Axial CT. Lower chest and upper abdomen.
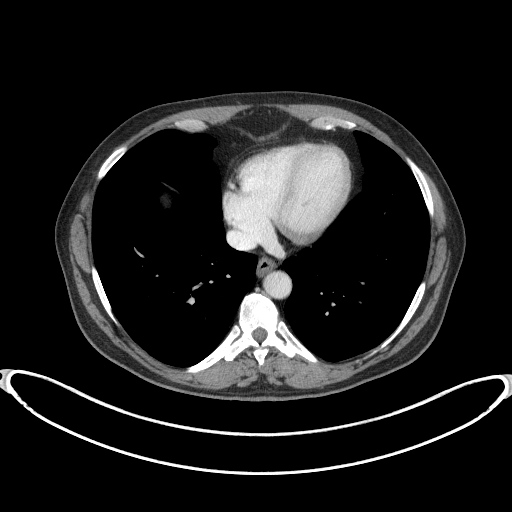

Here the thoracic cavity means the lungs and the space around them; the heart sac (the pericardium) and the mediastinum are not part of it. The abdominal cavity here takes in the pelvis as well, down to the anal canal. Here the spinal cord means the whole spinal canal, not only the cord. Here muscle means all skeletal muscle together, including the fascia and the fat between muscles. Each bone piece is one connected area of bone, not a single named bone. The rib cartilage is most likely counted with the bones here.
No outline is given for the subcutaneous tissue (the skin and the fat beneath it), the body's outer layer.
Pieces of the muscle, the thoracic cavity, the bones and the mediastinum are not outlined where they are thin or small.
{"muscle":[[[206,389],[222,389],[233,385],[243,387],[259,379],[275,385],[302,389],[322,387],[377,364],[404,347],[432,314],[449,263],[446,210],[428,174],[422,170],[433,196],[434,217],[430,219],[430,248],[423,277],[427,283],[426,290],[410,321],[385,348],[364,360],[362,357],[369,351],[339,362],[328,362],[319,358],[320,361],[315,364],[299,355],[290,359],[272,347],[260,368],[251,350],[246,349],[231,362],[221,359],[202,371],[190,374],[184,368],[164,364],[145,352],[123,328],[118,328],[111,321],[98,298],[90,274],[90,266],[94,264],[90,235],[91,207],[99,182],[96,175],[102,162],[93,172],[70,224],[69,257],[82,303],[109,339],[141,365],[171,381]],[[403,160],[403,157],[406,154],[409,154],[385,132],[364,118],[339,107],[311,103],[237,103],[232,105],[217,105],[188,109],[168,115],[151,123],[118,145],[126,143],[130,148],[155,131],[168,127],[176,128],[173,124],[176,119],[187,117],[198,118],[203,120],[209,127],[224,124],[238,113],[249,108],[266,106],[284,111],[306,124],[315,117],[328,114],[353,120],[357,123],[357,126],[354,129],[372,135],[395,151]]],"bones":[{"outer":[[190,373],[202,370],[221,358],[231,361],[246,348],[252,350],[259,367],[262,366],[272,346],[290,358],[299,354],[311,362],[317,363],[319,360],[291,332],[274,303],[266,296],[252,292],[244,296],[236,321],[223,340],[206,357],[185,368],[185,371]],"hole":[[259,342],[260,342],[261,341],[262,341],[265,338],[265,337],[266,336],[266,332],[265,331],[265,330],[264,329],[263,329],[262,328],[257,328],[256,329],[255,329],[253,331],[253,332],[252,333],[252,335],[253,336],[253,337],[257,341],[258,341]]},[[363,359],[367,358],[369,356],[371,356],[379,350],[385,347],[406,325],[413,315],[423,296],[423,294],[425,290],[425,285],[426,284],[424,280],[422,280],[418,286],[410,305],[408,307],[400,323],[394,331],[378,346],[372,349],[367,355],[363,357]],[[430,218],[433,217],[433,200],[432,199],[432,196],[427,181],[421,169],[409,156],[406,155],[404,157],[404,159],[406,163],[411,169],[419,185]],[[324,130],[328,130],[329,129],[334,130],[337,127],[345,128],[346,129],[353,129],[355,128],[356,123],[347,119],[337,118],[329,115],[327,116],[320,116],[311,120],[308,124],[309,126],[312,128],[315,128],[316,129],[323,129]],[[120,328],[122,328],[122,327],[112,312],[111,306],[103,289],[96,268],[94,265],[92,265],[91,266],[92,279],[95,288],[97,291],[97,293],[99,296],[99,298],[106,312],[112,321]],[[98,181],[99,181],[107,173],[107,172],[110,169],[110,168],[125,153],[125,152],[128,149],[128,147],[126,144],[122,144],[118,146],[106,158],[106,159],[103,162],[103,163],[101,165],[99,169],[99,171],[97,175],[97,180]],[[189,132],[199,132],[200,131],[202,131],[207,128],[207,125],[203,121],[201,120],[199,120],[198,119],[192,119],[191,118],[187,118],[186,119],[182,119],[181,120],[176,120],[174,122],[174,124],[177,128],[179,129],[181,129],[182,130],[185,130]]],"torso":[[[241,401],[319,397],[352,388],[413,362],[439,331],[465,252],[463,220],[429,152],[403,124],[375,106],[343,96],[299,90],[237,91],[157,104],[133,114],[114,128],[85,160],[64,197],[55,222],[54,242],[75,320],[88,342],[110,361],[160,387]]],"mediastinum":[[[351,198],[359,191],[361,187],[360,184],[363,173],[360,155],[353,135],[354,130],[340,128],[337,128],[334,131],[316,130],[301,122],[292,120],[290,125],[282,134],[282,137],[278,139],[295,137],[323,138],[339,144],[347,152],[354,166],[354,189]],[[281,313],[283,309],[284,303],[290,294],[292,287],[291,278],[282,266],[282,261],[284,258],[266,257],[265,256],[256,255],[258,259],[256,266],[256,271],[255,272],[256,274],[256,280],[252,289],[247,293],[252,291],[256,291],[266,295],[275,303]],[[221,192],[221,187],[226,167],[233,157],[246,147],[263,142],[267,142],[258,142],[255,140],[247,139],[241,136],[234,128],[230,127],[228,124],[210,127],[200,132],[207,132],[211,134],[217,140],[217,144],[213,149],[212,158],[219,168],[221,177]]],"abdominal_cavity":[[[258,141],[267,141],[281,137],[280,136],[283,133],[285,128],[289,125],[291,120],[294,119],[284,112],[281,112],[275,109],[270,109],[266,107],[253,108],[238,114],[233,119],[229,120],[227,123],[230,126],[234,127],[241,135],[250,139],[255,139]]],"pericardium":[[[277,257],[284,257],[304,247],[310,246],[325,232],[349,201],[353,189],[353,166],[346,152],[339,145],[323,139],[295,138],[278,140],[246,148],[236,155],[228,165],[222,187],[222,210],[223,221],[228,233],[226,238],[227,242],[233,247],[248,253]]],"spinal_cord":[[[259,342],[260,342],[261,341],[262,341],[265,338],[265,337],[266,336],[266,332],[265,331],[265,330],[264,329],[263,329],[262,328],[257,328],[256,329],[255,329],[253,331],[253,332],[252,333],[252,335],[253,336],[253,337],[257,341],[258,341]]],"thoracic_cavity":[[[179,367],[206,356],[225,336],[235,321],[243,296],[253,286],[257,259],[253,254],[233,249],[225,241],[220,177],[211,158],[216,140],[207,133],[186,133],[168,128],[129,149],[100,181],[92,207],[91,237],[95,265],[113,312],[126,332],[156,359]],[[328,361],[339,361],[364,353],[378,345],[393,331],[422,279],[429,248],[429,218],[410,169],[390,148],[358,130],[354,131],[354,135],[364,167],[360,191],[315,243],[288,256],[283,261],[284,268],[292,278],[293,287],[281,316],[292,332],[311,351]]]}